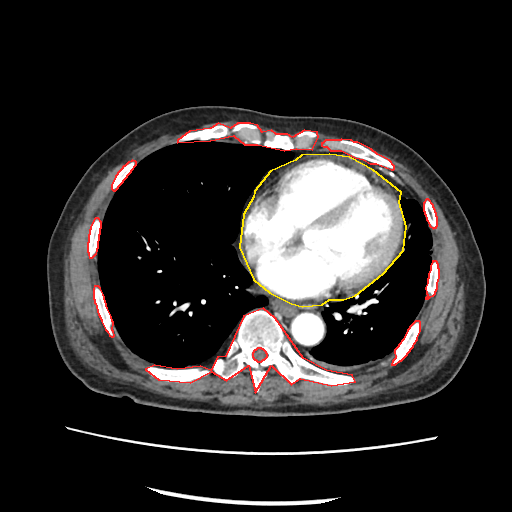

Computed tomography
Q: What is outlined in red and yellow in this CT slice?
A: red: bones; yellow: pericardium.
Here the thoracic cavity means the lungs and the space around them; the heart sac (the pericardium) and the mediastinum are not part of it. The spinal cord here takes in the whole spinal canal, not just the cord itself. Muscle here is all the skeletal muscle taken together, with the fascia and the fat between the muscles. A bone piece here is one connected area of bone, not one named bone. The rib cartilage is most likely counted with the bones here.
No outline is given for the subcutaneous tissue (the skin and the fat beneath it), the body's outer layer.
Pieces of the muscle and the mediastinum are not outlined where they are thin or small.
bones 1: 255 392; 271 365; 291 384; 300 378; 331 385; 355 381; 352 375; 326 370; 303 358; 275 318; 263 308; 243 316; 225 356; 217 357; 210 370; 200 366; 177 369; 154 365; 145 369; 158 379; 190 382; 211 371; 226 380; 248 365 with a hole at 257 361; 261 361; 263 359; 264 359; 267 356; 267 354; 266 353; 266 352; 263 349; 262 349; 261 348; 257 348; 255 350; 254 350; 253 351; 253 352; 252 353; 252 356; 253 357; 253 358; 254 359; 255 359
bones 2: 284 150; 296 148; 312 149; 318 137; 317 132; 304 130; 292 137; 287 134; 276 134; 271 130; 262 132; 257 125; 250 123; 237 123; 230 128; 218 123; 210 128; 189 131; 177 140; 177 142; 210 140; 233 135; 244 144; 257 144
bones 3: 391 169; 393 169; 394 168; 394 166; 389 160; 377 154; 371 149; 357 142; 354 142; 351 140; 341 139; 340 140; 325 140; 322 143; 321 143; 321 145; 323 146; 326 146; 330 150; 341 150; 355 157; 363 159; 370 163; 376 163
bones 4: 391 364; 395 364; 400 360; 401 360; 407 354; 407 353; 413 346; 414 343; 417 339; 417 337; 420 331; 420 322; 419 321; 415 321; 409 327; 409 328; 407 330; 403 339; 398 345; 398 346; 394 350; 395 358; 392 361
bones 5: 111 336; 113 336; 114 335; 113 331; 112 330; 113 322; 112 321; 111 316; 107 308; 103 294; 100 288; 98 286; 94 286; 93 288; 93 298; 94 299; 94 302; 95 303; 98 314; 101 319; 101 321; 105 329; 107 331; 109 335
bones 6: 89 257; 92 257; 96 253; 97 251; 97 248; 98 247; 99 234; 100 233; 100 228; 101 227; 101 222; 98 218; 95 218; 94 219; 90 226; 90 229; 89 230; 89 234; 88 235; 88 242; 87 243; 87 251; 88 252; 88 255
bones 7: 425 298; 428 298; 430 296; 433 295; 435 293; 435 291; 437 288; 437 283; 439 277; 439 269; 438 268; 438 264; 436 261; 432 261; 430 266; 430 269; 428 274; 428 278; 427 279; 427 283; 425 287; 426 293; 427 294; 427 296
bones 8: 113 190; 115 190; 118 187; 118 186; 123 181; 123 180; 131 171; 131 170; 136 164; 136 162; 135 161; 132 160; 131 161; 128 162; 124 166; 123 166; 122 167; 122 168; 117 173; 117 174; 115 176; 115 177; 111 184; 111 188
bones 9: 433 228; 434 227; 436 227; 436 226; 437 225; 437 217; 436 216; 436 213; 435 212; 435 210; 433 207; 433 205; 428 199; 426 199; 423 203; 423 210; 424 211; 424 213; 425 214; 426 219; 427 220; 429 225
pericardium: 302 306; 322 304; 329 299; 343 299; 355 295; 383 273; 403 250; 406 226; 399 202; 401 192; 373 170; 349 157; 329 154; 301 155; 295 160; 270 171; 254 191; 253 197; 243 214; 239 247; 253 279; 269 292; 291 303
mediastinum 1: 298 353; 309 351; 325 337; 326 324; 321 312; 330 302; 342 300; 329 300; 322 305; 302 307; 259 286; 252 279; 250 271; 243 261; 243 255; 239 251; 240 224; 239 233; 232 245; 240 262; 245 269; 250 274; 251 276; 251 277; 251 282; 249 290; 253 295; 265 295; 268 298; 268 304; 262 307; 276 318
mediastinum 2: 420 203; 415 193; 402 178; 390 169; 376 164; 370 164; 341 151; 326 151; 320 148; 315 148; 310 151; 296 149; 292 151; 294 156; 289 161; 301 154; 312 153; 349 156; 370 167; 380 176; 393 183; 402 192; 401 197; 416 199
mediastinum 3: 241 223; 242 214; 245 210; 245 208; 247 206; 247 204; 252 197; 253 191; 257 187; 269 171; 275 168; 268 170; 263 175; 260 181; 248 197; 247 200; 245 202; 245 204; 243 208; 243 211; 241 215
thoracic cavity 1: 177 368; 207 364; 217 356; 223 357; 242 316; 267 304; 265 296; 253 296; 249 292; 250 276; 231 243; 238 233; 247 197; 268 169; 292 158; 291 151; 213 140; 177 143; 137 164; 110 201; 102 222; 97 264; 114 333; 147 361
thoracic cavity 2: 347 373; 357 373; 393 352; 422 305; 433 245; 422 205; 416 200; 405 198; 400 200; 405 223; 408 225; 404 242; 405 250; 367 288; 355 296; 330 303; 325 307; 322 315; 327 324; 326 337; 309 352; 300 354; 321 367
torso: 253 416; 373 409; 420 400; 441 390; 459 371; 477 334; 485 301; 483 261; 450 188; 416 151; 394 136; 339 117; 278 115; 226 105; 179 108; 145 121; 108 147; 67 198; 47 249; 51 328; 67 368; 95 392; 127 396; 161 408
muscle 1: 260 406; 328 405; 402 392; 436 372; 450 357; 462 325; 455 232; 409 169; 375 151; 394 164; 422 204; 426 198; 432 202; 438 217; 437 227; 429 226; 438 288; 415 319; 421 331; 408 354; 395 365; 392 353; 350 374; 356 381; 346 386; 304 379; 291 385; 274 366; 267 368; 258 393; 248 366; 226 381; 213 372; 190 383; 158 380; 144 369; 152 364; 109 336; 100 321; 92 298; 93 286; 100 287; 97 254; 89 258; 86 251; 89 226; 95 217; 102 221; 115 191; 110 184; 128 161; 138 163; 176 143; 189 130; 240 122; 210 123; 163 135; 134 149; 102 177; 69 230; 64 317; 70 344; 84 364; 110 380; 170 397
muscle 2: 326 150; 328 150; 326 147; 323 147; 320 145; 321 142; 325 139; 340 139; 331 135; 327 135; 318 132; 319 133; 319 137; 318 140; 316 142; 316 144; 314 146; 314 148; 315 147; 320 147; 321 149; 325 149
spinal cord: 257 361; 261 361; 263 359; 264 359; 267 356; 267 354; 266 353; 266 352; 263 349; 262 349; 261 348; 257 348; 255 350; 254 350; 253 351; 253 352; 252 353; 252 356; 253 357; 253 358; 254 359; 255 359